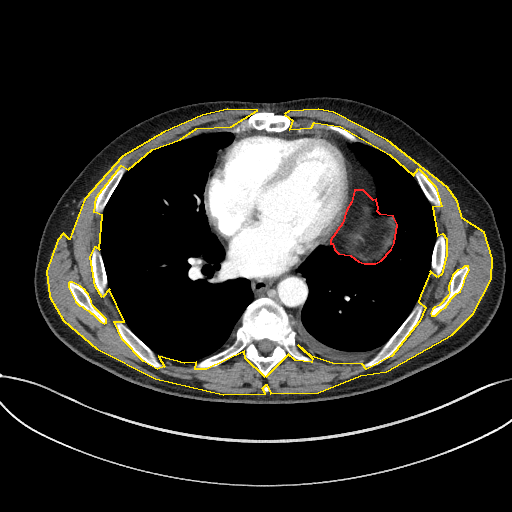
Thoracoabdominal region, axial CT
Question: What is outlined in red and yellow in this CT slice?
Answer: red: abdominal cavity; yellow: muscle.
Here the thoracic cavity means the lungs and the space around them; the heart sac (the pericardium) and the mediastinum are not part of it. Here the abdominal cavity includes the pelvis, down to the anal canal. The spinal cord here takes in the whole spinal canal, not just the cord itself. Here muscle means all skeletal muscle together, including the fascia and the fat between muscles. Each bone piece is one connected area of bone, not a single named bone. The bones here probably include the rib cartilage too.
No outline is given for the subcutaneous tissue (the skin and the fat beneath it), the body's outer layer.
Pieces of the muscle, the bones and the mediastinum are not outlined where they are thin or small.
Outlines (x, y in pixels):
abdominal cavity: [[364,263],[375,263],[381,260],[391,249],[394,243],[397,224],[393,216],[380,214],[377,211],[378,208],[376,199],[373,200],[363,190],[354,190],[351,202],[346,210],[342,223],[330,240],[330,243],[332,243],[334,249],[338,253],[350,255],[358,261]]
muscle: [[223,394],[265,393],[262,388],[266,384],[270,393],[318,392],[360,375],[386,371],[452,334],[473,313],[491,279],[492,258],[484,232],[462,218],[457,201],[447,187],[387,140],[333,112],[318,109],[288,111],[284,114],[292,120],[289,129],[311,127],[314,122],[340,126],[389,154],[413,175],[418,168],[435,186],[441,206],[432,207],[437,235],[442,233],[446,238],[446,255],[441,274],[437,277],[430,271],[420,295],[418,301],[425,307],[419,321],[391,356],[366,369],[362,364],[332,363],[311,356],[298,345],[312,358],[311,362],[295,360],[288,354],[265,377],[245,358],[244,351],[206,369],[195,369],[196,362],[184,363],[158,356],[164,366],[157,369],[143,361],[122,339],[114,321],[124,321],[109,289],[102,297],[95,286],[90,257],[95,246],[99,249],[102,215],[94,212],[96,197],[121,165],[128,169],[152,149],[180,139],[196,128],[231,126],[257,110],[227,109],[202,115],[163,132],[122,156],[84,199],[69,239],[63,233],[57,240],[46,271],[49,296],[63,320],[96,348],[155,378]], around holes outlined by [[431,315],[435,315],[441,309],[445,307],[451,298],[456,293],[460,291],[463,285],[465,277],[469,270],[468,266],[464,266],[462,268],[457,270],[452,275],[448,286],[448,290],[449,292],[447,296],[439,305],[434,307],[432,309],[430,313]] and by [[104,323],[106,322],[106,319],[93,306],[91,302],[91,300],[88,294],[85,291],[85,290],[80,286],[72,282],[69,282],[68,283],[68,287],[75,301],[79,305],[82,306],[84,308],[88,310],[91,313],[92,313],[100,321]]
mediastinum 1: [[291,320],[299,317],[308,294],[305,278],[297,270],[297,267],[299,265],[275,277],[251,278],[241,274],[226,259],[226,257],[225,258],[224,263],[232,271],[230,277],[247,277],[250,281],[254,299],[261,296],[272,298],[284,308],[290,316]]
mediastinum 2: [[373,199],[376,198],[376,195],[372,176],[355,158],[351,148],[354,143],[353,142],[346,140],[334,132],[313,128],[297,128],[290,129],[289,130],[287,130],[286,131],[281,133],[266,133],[286,133],[287,132],[310,132],[313,131],[325,132],[335,136],[341,142],[344,151],[352,163],[354,173],[354,189],[363,189]]
torso: [[259,404],[335,399],[392,384],[467,347],[499,307],[506,264],[491,206],[437,148],[382,109],[328,96],[279,102],[217,100],[172,108],[135,124],[100,150],[66,188],[46,221],[36,256],[34,293],[48,327],[68,348],[123,379],[156,391],[199,400]]
bones 1: [[263,376],[283,360],[288,353],[295,359],[311,361],[311,358],[297,347],[295,332],[289,316],[279,304],[267,297],[258,298],[247,306],[236,331],[236,337],[230,344],[197,362],[194,366],[195,368],[213,367],[244,350],[246,358],[257,366]] with a hole at [[264,354],[267,354],[268,353],[269,353],[273,349],[273,348],[274,347],[274,343],[268,339],[263,339],[262,340],[260,340],[259,341],[258,341],[258,342],[257,343],[257,347],[258,348],[258,349],[259,350],[259,351],[261,353],[263,353]]
bones 2: [[363,368],[366,368],[367,367],[370,367],[371,366],[374,366],[379,364],[391,355],[399,347],[399,346],[411,332],[416,323],[418,321],[424,307],[424,304],[423,303],[418,302],[415,305],[409,315],[396,331],[396,332],[372,358],[363,364],[362,366]]
bones 3: [[232,132],[245,131],[251,128],[255,130],[265,131],[266,132],[281,132],[288,129],[290,126],[291,120],[288,116],[283,114],[275,114],[274,113],[267,113],[266,112],[256,112],[246,118],[244,118],[237,124],[231,127],[221,128],[223,130],[229,130]]
bones 4: [[157,368],[161,368],[163,366],[163,365],[159,361],[157,357],[157,355],[145,344],[144,344],[123,322],[122,322],[120,320],[116,320],[115,321],[115,324],[119,333],[121,335],[123,339],[126,342],[126,343],[131,348],[131,349],[147,363]]
bones 5: [[96,213],[99,213],[100,212],[102,212],[112,192],[116,187],[121,177],[123,175],[123,174],[126,170],[126,167],[124,165],[121,166],[107,180],[107,181],[102,187],[97,197],[97,200],[95,204],[95,212]]
bones 6: [[431,315],[435,315],[441,309],[445,307],[451,298],[456,293],[460,291],[463,285],[465,277],[469,270],[468,266],[464,266],[462,268],[457,270],[452,275],[448,286],[448,290],[449,292],[447,296],[439,305],[434,307],[432,309],[430,313]]
bones 7: [[102,296],[104,296],[105,295],[105,290],[107,287],[107,279],[106,278],[105,270],[104,269],[104,266],[103,265],[103,262],[102,261],[100,251],[95,247],[92,251],[91,264],[92,265],[93,276],[94,277],[94,280],[95,281],[96,286],[100,294]]
bones 8: [[104,323],[106,322],[106,319],[93,306],[91,302],[91,300],[88,294],[85,291],[85,290],[80,286],[72,282],[69,282],[68,283],[68,287],[75,301],[79,305],[82,306],[84,308],[88,310],[91,313],[92,313],[100,321]]
bones 9: [[437,276],[438,276],[441,272],[441,269],[442,268],[443,261],[444,260],[444,256],[445,255],[445,238],[442,234],[438,235],[436,238],[436,241],[434,245],[433,253],[432,254],[432,260],[431,261],[431,270],[432,271],[431,272],[431,274],[433,273]]
bones 10: [[438,208],[440,206],[440,200],[439,199],[439,196],[434,186],[427,178],[427,177],[422,172],[421,172],[418,169],[416,169],[414,173],[414,176],[417,180],[420,187],[422,189],[424,194],[426,196],[426,197],[428,199],[430,203],[432,205]]
bones 11: [[354,142],[364,142],[350,133],[347,130],[343,129],[340,127],[334,126],[330,124],[319,124],[318,123],[314,123],[311,125],[311,126],[314,128],[321,128],[326,130],[331,130],[332,131],[334,131],[340,134],[346,139],[350,141],[353,141]]
thoracic cavity 1: [[184,362],[198,361],[230,343],[243,311],[253,299],[247,278],[229,277],[231,271],[223,263],[224,249],[210,231],[202,198],[217,150],[233,140],[228,131],[203,132],[156,148],[140,158],[122,177],[102,216],[100,250],[108,287],[125,323],[158,355]]
thoracic cavity 2: [[347,364],[364,363],[372,357],[408,315],[429,273],[436,237],[431,205],[414,177],[389,155],[365,143],[355,143],[352,148],[373,176],[378,211],[397,220],[394,246],[375,264],[318,246],[298,267],[309,294],[300,317],[292,320],[297,342],[309,354]]
spinal cord: [[264,354],[267,354],[268,353],[269,353],[273,349],[273,348],[274,347],[274,343],[268,339],[263,339],[262,340],[260,340],[259,341],[258,341],[258,342],[257,343],[257,347],[258,348],[258,349],[259,350],[259,351],[261,353],[263,353]]
pericardium: [[251,277],[271,277],[291,269],[318,245],[329,241],[337,230],[350,202],[353,190],[353,173],[351,163],[335,137],[313,132],[266,134],[247,131],[237,135],[234,141],[220,152],[205,186],[203,198],[206,215],[210,226],[226,249],[227,259],[241,273]]